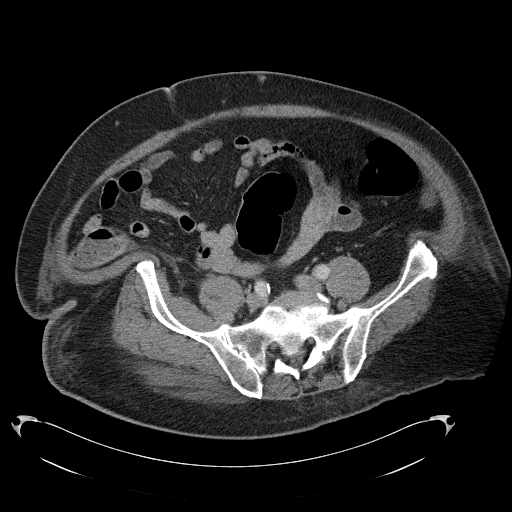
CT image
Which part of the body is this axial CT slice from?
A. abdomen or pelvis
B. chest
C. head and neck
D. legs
Answer: A. abdomen or pelvis
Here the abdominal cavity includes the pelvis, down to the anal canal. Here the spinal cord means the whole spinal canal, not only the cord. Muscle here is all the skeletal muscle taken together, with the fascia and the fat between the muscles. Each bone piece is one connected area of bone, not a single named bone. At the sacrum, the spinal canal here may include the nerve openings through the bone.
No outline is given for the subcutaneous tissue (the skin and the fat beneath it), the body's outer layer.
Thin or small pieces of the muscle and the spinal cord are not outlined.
Outlined structures:
abdominal cavity: 238 117; 333 118; 384 136; 432 184; 440 227; 412 230; 397 277; 364 299; 363 264; 332 258; 326 287; 343 311; 319 290; 286 290; 240 324; 246 294; 229 275; 199 283; 205 312; 172 291; 147 250; 73 269; 72 224; 105 180
torso: 242 70; 291 73; 383 97; 424 118; 457 149; 481 190; 510 266; 501 327; 482 376; 445 380; 312 430; 239 440; 134 424; 64 395; 49 382; 41 353; 46 321; 24 310; 14 277; 21 229; 41 186; 75 138; 116 104; 186 78
spinal cord: 308 338; 313 338; 314 339; 314 344; 311 346; 311 348; 310 349; 308 356; 305 358; 304 361; 299 367; 294 367; 290 365; 285 360; 293 355; 298 354; 301 351; 300 350; 301 348; 304 346; 304 344; 305 342; 307 341; 307 339
bones: 417 239; 437 259; 437 274; 374 319; 356 377; 343 381; 344 333; 299 379; 269 367; 260 375; 260 399; 235 388; 205 344; 156 318; 135 270; 152 260; 171 313; 209 331; 253 320; 286 291; 319 291; 334 314; 370 307; 396 287, around holes outlined by 308 338; 313 338; 314 339; 314 344; 311 346; 311 348; 310 349; 308 356; 305 358; 304 361; 299 367; 294 367; 290 365; 285 360; 293 355; 298 354; 301 351; 300 350; 301 348; 304 346; 304 344; 305 342; 307 341; 307 339 and by 272 342; 273 342; 274 342; 275 342; 276 343; 276 344; 277 345; 277 346; 277 347; 277 348; 277 349; 276 350; 275 350; 274 350; 273 350; 272 350; 271 350; 270 349; 270 348; 270 347; 270 346; 270 345; 270 344; 271 343
muscle: 287 103; 380 122; 426 148; 460 193; 466 217; 460 250; 440 269; 428 310; 380 349; 353 381; 367 357; 375 319; 416 284; 433 280; 438 259; 417 238; 407 250; 395 287; 370 306; 352 304; 346 309; 339 307; 339 300; 327 287; 329 263; 338 256; 349 256; 362 264; 370 280; 364 300; 393 282; 400 273; 409 234; 418 229; 437 231; 442 225; 444 208; 433 184; 407 150; 380 133; 333 117; 238 116; 193 128; 115 172; 89 196; 70 227; 70 267; 89 272; 134 252; 150 252; 162 263; 171 291; 187 297; 205 313; 198 297; 202 280; 211 275; 237 279; 245 296; 233 322; 196 330; 169 309; 153 260; 138 261; 134 270; 150 310; 161 324; 205 345; 230 384; 257 400; 263 396; 261 375; 269 368; 274 374; 299 380; 302 372; 325 360; 324 352; 344 334; 341 372; 347 385; 295 400; 262 399; 239 405; 204 404; 149 390; 113 340; 113 313; 123 279; 97 285; 66 282; 54 265; 58 228; 93 180; 147 138; 214 111